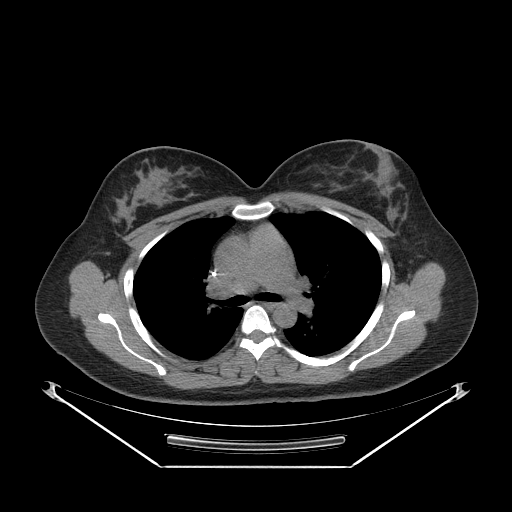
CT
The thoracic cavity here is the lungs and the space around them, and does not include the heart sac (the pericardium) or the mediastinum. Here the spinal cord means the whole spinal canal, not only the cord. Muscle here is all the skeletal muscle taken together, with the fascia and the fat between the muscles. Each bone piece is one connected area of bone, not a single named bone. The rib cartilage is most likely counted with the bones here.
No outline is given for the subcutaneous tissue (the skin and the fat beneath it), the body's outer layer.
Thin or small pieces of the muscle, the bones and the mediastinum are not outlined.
The pericardium is outlined by 260,223 270,223 274,226 291,250 293,265 296,273 296,279 295,281 289,288 280,291 276,291 275,292 249,291 244,293 236,293 222,287 216,281 216,278 213,273 214,253 219,243 232,232. The mediastinum appears in 2 outlined pieces: piece 1: 266,217 271,223 232,231 218,243 212,273 222,288 236,294 284,291 297,279 292,250 297,270 305,278 305,290 295,323 282,333 261,305 253,304 244,311 230,299 219,298 207,281 212,247 235,219 255,221; piece 2: 278,230 280,232 280,233 285,238 285,239 287,241 287,242 289,244 289,245 290,246 290,247 291,248 291,249 290,248 290,247 288,245 288,244 285,241 285,240 283,238 283,237 280,234 280,233 278,231. The torso is outlined by 344,138 377,143 399,154 466,256 477,286 478,310 466,342 447,363 372,396 178,405 114,392 87,377 43,338 34,314 39,282 61,242 82,221 104,176 126,155 160,145 186,148 222,162 255,187 297,151. The bones appear in 10 outlined pieces: piece 1: 381,300 384,304 383,310 369,334 346,356 328,365 312,366 302,363 275,346 268,347 256,360 246,348 234,345 235,334 244,312 253,305 259,305 266,311 271,323 288,345 307,356 328,356 346,345 362,329; inner edge: 255,330 259,330 260,331 261,331 262,332 263,332 264,333 264,334 265,335 265,336 260,341 259,341 258,342 255,342 252,339 251,339 250,338 250,337 249,336 249,335 253,331 254,331; piece 2: 265,200 268,200 272,202 275,204 276,207 276,208 268,216 259,219 256,219 255,220 245,220 244,219 238,219 235,218 230,214 234,206 239,203 248,203 251,204 252,203 256,203; piece 3: 405,310 414,310 415,311 415,314 413,317 409,319 402,320 398,323 391,341 384,348 378,352 370,355 360,361 352,371 348,370 347,368 348,365 352,361 357,359 364,354 378,348 386,341 395,320 399,314; piece 4: 100,312 108,313 114,318 121,331 124,342 132,350 143,357 148,358 164,367 166,370 166,373 164,375 159,375 156,368 152,364 129,352 122,345 119,340 118,334 115,327 110,323 102,322 98,319 97,316; piece 5: 130,305 136,308 136,310 139,315 139,317 142,323 152,337 152,340 154,344 165,355 165,357 163,357 161,356 153,349 152,349 143,340 143,339 136,331 131,321 131,319 129,316 129,313 128,312 128,307; piece 6: 130,267 132,267 134,269 135,272 134,273 134,275 133,276 133,286 132,287 132,296 128,299 127,299 125,297 125,294 124,293 124,289 123,288 123,278 124,277 124,275 125,274 125,272 126,271 126,270; piece 7: 166,229 168,229 168,232 164,236 163,236 145,254 145,255 143,257 143,258 141,260 141,261 140,262 139,262 139,261 138,260 138,256 139,255 141,250 154,237 155,237 157,235 158,235; piece 8: 365,229 369,229 371,231 372,231 374,233 374,234 381,241 381,242 383,245 383,253 381,255 379,255 379,254 378,253 377,250 374,247 374,246 371,243 371,242 368,239 368,238 365,235 365,234 363,232; piece 9: 383,259 384,259 387,261 387,262 389,265 389,271 390,272 390,273 389,274 389,283 388,284 388,285 387,286 387,288 385,291 383,291 381,289 381,281 382,280 382,265 381,264 381,261; piece 10: 320,205 324,205 325,206 327,206 338,212 340,212 342,213 349,219 350,219 352,221 352,222 355,226 348,223 346,221 334,215 332,215 327,212 325,212 324,211 322,211 320,210 319,209 319,206. The thoracic cavity appears in 2 outlined pieces: piece 1: 287,208 298,211 319,210 346,222 364,234 379,256 381,265 380,291 372,312 361,329 346,344 327,355 307,355 284,341 280,334 296,323 300,312 300,299 306,290 306,278 298,270 290,244 269,218 275,210; piece 2: 224,214 229,214 234,218 234,222 219,236 211,247 206,281 219,299 230,300 232,305 241,308 243,313 234,336 217,353 201,360 188,359 165,348 151,335 143,323 133,297 134,276 146,254 169,232 193,219. The muscle is outlined by 286,190 325,196 380,221 393,234 386,240 398,281 427,261 442,266 441,313 411,352 325,384 265,383 257,378 237,386 180,389 110,359 71,317 68,276 75,265 90,260 116,277 130,251 123,237 137,227 197,202 242,196 251,203 239,202 229,213 166,228 140,250 136,270 128,267 122,278 124,297 132,297 135,305 127,307 135,331 163,358 153,338 179,357 201,361 234,337 233,345 246,349 256,361 275,347 312,367 338,362 370,334 384,310 384,301 378,299 391,273 388,261 380,259 384,245 372,230 362,232 327,205 276,209 268,199 258,201 with holes at 100,312 108,313 114,318 121,331 124,342 132,350 143,357 148,358 164,367 166,370 166,373 164,375 159,375 156,368 152,364 129,352 122,345 119,340 118,334 115,327 110,323 102,322 98,319 97,316 and at 405,310 414,310 415,311 415,314 413,317 409,319 402,320 398,323 391,341 384,348 378,352 370,355 360,361 352,371 348,370 347,368 348,365 352,361 357,359 364,354 378,348 386,341 395,320 399,314. The spinal cord is outlined by 255,330 259,330 260,331 261,331 262,332 263,332 264,333 264,334 265,335 265,336 260,341 259,341 258,342 255,342 252,339 251,339 250,338 250,337 249,336 249,335 253,331 254,331.